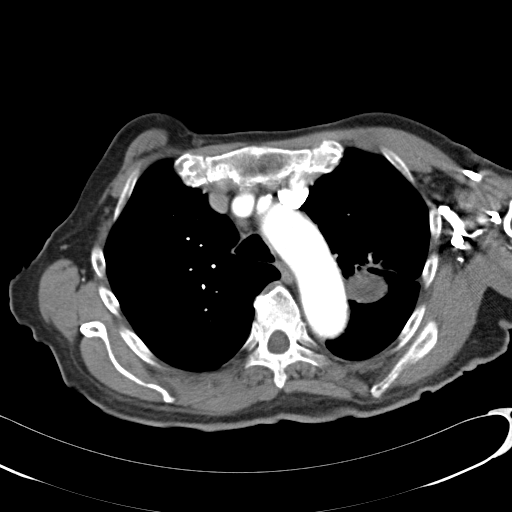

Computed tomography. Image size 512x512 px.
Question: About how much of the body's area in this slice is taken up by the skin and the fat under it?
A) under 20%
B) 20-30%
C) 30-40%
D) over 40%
Answer: A) under 20%
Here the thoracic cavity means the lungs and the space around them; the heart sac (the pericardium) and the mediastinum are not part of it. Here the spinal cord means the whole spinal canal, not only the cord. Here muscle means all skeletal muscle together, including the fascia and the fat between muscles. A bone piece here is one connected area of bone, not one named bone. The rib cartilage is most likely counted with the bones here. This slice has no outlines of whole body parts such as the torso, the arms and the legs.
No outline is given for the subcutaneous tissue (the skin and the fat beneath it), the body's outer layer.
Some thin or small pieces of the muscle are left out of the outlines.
Outlines:
spinal cord: 275,331 281,331 283,333 284,333 285,334 285,335 288,340 288,346 287,347 287,348 283,352 281,352 280,353 276,353 275,352 272,352 269,349 269,348 268,347 268,342 269,341 269,339 270,338 271,335
bones 1: 323,139 334,140 344,147 343,155 337,166 327,173 313,173 309,177 294,178 286,182 255,186 232,186 210,182 198,187 191,187 183,183 173,167 173,161 186,152 203,156 214,156 248,145 302,149 312,148
bones 2: 277,284 283,285 290,292 298,305 309,335 329,360 323,367 301,360 288,364 284,369 286,379 281,388 274,383 274,374 269,368 262,365 245,368 245,354 239,351 251,331 255,317 255,297 265,288 269,289, around a hole outlined by 275,331 281,331 283,333 284,333 285,334 285,335 288,340 288,346 287,347 287,348 283,352 281,352 280,353 276,353 275,352 272,352 269,349 269,348 268,347 268,342 269,341 269,339 270,338 271,335
bones 3: 431,320 435,321 437,324 437,329 438,330 437,331 437,340 434,346 428,353 416,362 405,364 398,376 390,384 380,397 376,398 372,396 370,391 371,387 374,384 381,381 389,373 398,360 406,352 426,324
bones 4: 94,320 100,321 104,324 110,348 118,363 123,368 142,381 146,383 159,385 165,389 174,398 173,402 163,401 160,392 151,387 141,385 118,371 108,355 104,341 98,336 87,337 80,332 79,327 82,323
bones 5: 122,325 131,329 140,338 140,339 154,354 154,355 156,357 156,359 157,361 160,364 161,367 157,367 156,366 154,366 144,361 140,357 139,357 128,346 128,345 124,341 124,340 119,333 119,329
bones 6: 422,303 425,305 425,311 420,321 420,323 417,329 415,331 414,334 404,345 403,345 397,350 393,352 391,352 392,348 397,343 396,341 396,338 400,333 401,330 404,327 405,324 413,312 415,307 417,305
bones 7: 136,168 138,168 139,169 139,176 134,185 134,187 132,190 132,192 129,198 127,200 124,207 120,212 117,219 113,223 112,221 113,212 114,211 116,203 119,198 122,188 125,183 126,179 130,173
bones 8: 381,147 386,147 387,148 388,148 389,149 392,150 405,163 406,166 408,168 409,171 411,173 411,175 413,177 413,178 414,179 414,185 413,185 381,153 381,151 380,150 380,148
bones 9: 434,251 435,251 438,255 438,261 437,262 437,267 436,268 436,270 435,271 433,279 431,281 429,286 427,288 425,288 421,280 421,274 422,273 422,271 423,270 425,262 429,254 430,254
bones 10: 100,285 104,285 106,287 110,289 113,293 113,294 115,296 116,299 118,301 119,303 119,306 120,307 120,316 119,317 117,317 114,314 113,314 108,309 108,308 103,302 99,294 99,292 98,291 98,288
bones 11: 94,245 98,245 103,250 103,256 104,257 104,260 105,261 105,277 104,277 103,278 100,278 99,277 98,277 98,276 96,274 96,273 92,266 92,264 91,263 91,258 90,257 90,253 91,252 91,248
bones 12: 431,209 436,209 436,211 441,216 441,230 440,231 440,233 439,234 439,236 438,237 438,238 436,240 434,240 431,237 431,235 430,234 430,224 429,223 429,211
bones 13: 510,200 511,200 511,222 510,223 510,226 511,227 511,236 510,236 504,230 504,229 503,228 503,224 502,223 502,221 503,220 503,216 506,213 506,212 507,211 507,210 508,209 508,207 509,206 509,201
thoracic cavity 1: 163,159 173,160 172,167 182,183 199,188 209,206 230,220 237,233 233,253 239,246 245,258 269,264 279,273 254,297 254,317 239,350 212,370 182,369 157,357 133,330 106,275 104,247 110,229 139,177
thoracic cavity 2: 345,148 382,155 417,190 428,210 430,235 412,312 391,343 375,354 357,360 337,357 320,347 323,348 327,340 336,339 345,331 350,308 336,256 330,251 318,225 301,209 310,188 323,174 330,173 338,166
mediastinum: 313,174 322,174 300,209 317,225 335,256 349,308 344,331 327,339 323,347 310,335 291,292 281,283 267,287 280,277 279,271 245,257 239,245 232,251 238,240 235,226 210,206 199,187 210,183 255,187
muscle: 379,125 419,136 462,167 476,172 485,168 511,176 511,199 501,221 503,230 511,237 511,298 488,287 483,293 476,322 462,347 440,371 425,380 371,403 280,391 271,400 230,415 166,411 119,399 100,388 80,370 42,318 37,294 43,271 70,245 93,215 103,191 120,169 128,146 141,132 160,127 167,129 179,142 213,144 258,142 326,129 with holes at 323,139 392,150 441,216 427,252 437,267 427,288 418,280 425,311 409,340 357,360 320,347 329,363 288,364 281,388 269,368 245,368 243,351 205,371 139,357 90,257 94,245 104,249 130,173 186,152 and at 431,320 435,321 437,324 437,329 438,330 437,331 437,340 434,346 428,353 416,362 405,364 398,376 390,384 380,397 376,398 372,396 370,391 371,387 374,384 381,381 389,373 398,360 406,352 426,324 and at 94,320 100,321 104,324 110,348 118,363 123,368 142,381 146,383 159,385 165,389 174,398 173,402 163,401 160,392 151,387 141,385 118,371 108,355 104,341 98,336 87,337 80,332 79,327 82,323